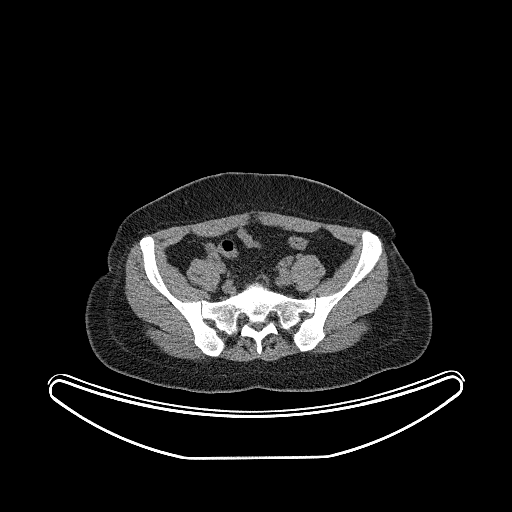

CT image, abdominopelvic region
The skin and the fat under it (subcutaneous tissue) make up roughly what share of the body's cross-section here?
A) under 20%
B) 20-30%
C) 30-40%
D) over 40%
D) over 40%
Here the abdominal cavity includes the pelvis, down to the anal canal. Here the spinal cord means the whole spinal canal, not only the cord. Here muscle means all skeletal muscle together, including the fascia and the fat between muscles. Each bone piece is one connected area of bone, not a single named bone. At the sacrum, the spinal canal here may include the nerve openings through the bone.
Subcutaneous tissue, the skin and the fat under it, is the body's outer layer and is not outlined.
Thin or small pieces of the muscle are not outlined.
spinal cord 1: (271, 312) (275, 312) (278, 315) (278, 318) (275, 321) (271, 321) (268, 318) (268, 315)
spinal cord 2: (253, 323) (264, 323) (264, 325) (263, 326) (263, 327) (261, 329) (260, 329) (259, 330) (257, 330) (256, 329) (255, 329) (253, 327) (252, 327) (252, 326) (251, 325)
spinal cord 3: (240, 314) (241, 314) (242, 314) (243, 314) (244, 315) (245, 316) (246, 317) (246, 318) (246, 319) (246, 320) (245, 321) (244, 322) (243, 323) (242, 323) (241, 323) (240, 323) (239, 322) (238, 321) (237, 320) (237, 319) (237, 318) (237, 317) (238, 316) (239, 315)
muscle 1: (252, 210) (364, 229) (360, 235) (357, 262) (343, 286) (333, 293) (307, 297) (309, 292) (296, 288) (290, 272) (298, 256) (311, 254) (324, 267) (321, 279) (327, 279) (351, 254) (353, 247) (350, 244) (322, 227) (311, 232) (296, 231) (251, 218) (219, 235) (201, 236) (189, 232) (168, 245) (165, 248) (167, 261) (184, 276) (196, 258) (211, 262) (219, 272) (218, 288) (207, 300) (182, 300) (174, 295) (159, 271) (155, 240) (149, 234) (144, 235)
muscle 2: (138, 239) (147, 279) (183, 316) (194, 344) (205, 355) (216, 358) (225, 347) (217, 330) (251, 338) (259, 355) (264, 338) (276, 335) (278, 328) (288, 330) (298, 324) (292, 341) (301, 353) (272, 361) (195, 361) (161, 351) (144, 335) (142, 322) (124, 293) (127, 254)
muscle 3: (381, 239) (383, 242) (387, 255) (388, 291) (383, 302) (369, 316) (371, 328) (358, 342) (347, 348) (334, 352) (319, 353) (318, 354) (304, 352) (307, 352) (314, 349) (325, 337) (324, 325) (326, 319) (333, 307) (374, 268) (380, 259) (383, 251) (383, 244)
bones: (365, 229) (381, 241) (379, 259) (332, 307) (324, 337) (303, 352) (293, 341) (298, 323) (264, 337) (259, 354) (251, 337) (217, 329) (224, 347) (216, 357) (205, 354) (148, 279) (139, 245) (153, 238) (158, 271) (182, 301) (220, 301) (253, 282) (304, 299) (344, 286), around holes outlined by (271, 312) (275, 312) (278, 315) (278, 318) (275, 321) (271, 321) (268, 318) (268, 315) and by (253, 323) (264, 323) (264, 325) (263, 326) (263, 327) (261, 329) (260, 329) (259, 330) (257, 330) (256, 329) (255, 329) (253, 327) (252, 327) (252, 326) (251, 325) and by (240, 314) (241, 314) (242, 314) (243, 314) (244, 315) (245, 316) (246, 317) (246, 318) (246, 319) (246, 320) (245, 321) (244, 322) (243, 323) (242, 323) (241, 323) (240, 323) (239, 322) (238, 321) (237, 320) (237, 319) (237, 318) (237, 317) (238, 316) (239, 315)
abdominal cavity: (251, 219) (296, 232) (322, 228) (350, 245) (351, 252) (324, 279) (326, 270) (316, 255) (298, 255) (289, 272) (295, 288) (308, 292) (304, 298) (253, 281) (211, 301) (211, 293) (219, 288) (218, 268) (196, 257) (184, 275) (168, 261) (166, 248) (189, 233) (215, 237)
torso: (221, 172) (278, 173) (313, 179) (383, 215) (395, 231) (399, 252) (430, 301) (432, 335) (423, 354) (410, 364) (350, 385) (308, 392) (253, 388) (200, 393) (155, 385) (105, 366) (88, 342) (84, 310) (91, 286) (107, 270) (107, 252) (119, 225) (131, 212) (171, 190)